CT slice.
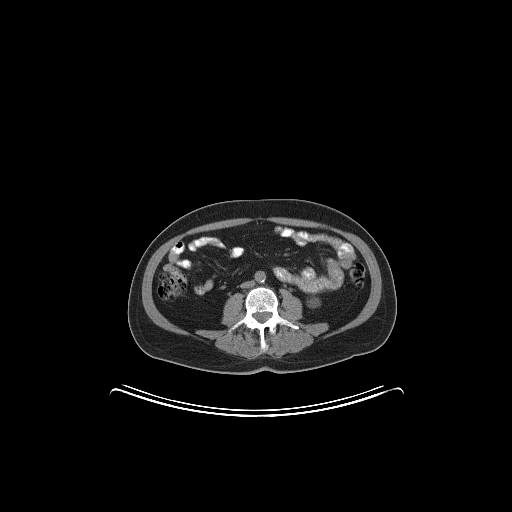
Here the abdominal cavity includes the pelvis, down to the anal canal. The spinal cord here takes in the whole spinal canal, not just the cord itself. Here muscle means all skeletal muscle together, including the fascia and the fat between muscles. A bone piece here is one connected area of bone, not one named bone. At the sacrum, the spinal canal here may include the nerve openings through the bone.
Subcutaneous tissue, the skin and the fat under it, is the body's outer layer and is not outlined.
{"abdominal_cavity":[[[258,221],[324,229],[349,241],[370,278],[359,312],[335,328],[327,321],[304,323],[302,301],[296,295],[280,288],[279,306],[277,294],[259,285],[244,299],[241,292],[228,296],[222,328],[186,329],[168,319],[154,301],[153,281],[170,248],[193,234]]],"bones":[{"outer":[[259,286],[267,287],[276,294],[278,314],[299,327],[294,329],[287,325],[278,324],[274,333],[266,329],[264,331],[264,339],[268,346],[264,352],[260,348],[260,335],[257,329],[250,329],[241,324],[228,332],[228,329],[245,315],[244,301],[248,292]],"hole":[[258,312],[259,313],[261,313],[262,312],[268,312],[269,313],[270,313],[270,316],[264,322],[259,322],[254,317],[254,314],[255,313],[257,313]]}],"muscle":[{"outer":[[259,216],[262,217],[290,217],[291,218],[299,218],[300,219],[312,220],[317,222],[325,223],[331,226],[341,229],[344,231],[347,231],[353,233],[361,238],[368,245],[374,254],[381,275],[381,282],[382,285],[381,286],[381,296],[380,297],[380,301],[377,306],[376,310],[373,314],[366,321],[360,325],[351,329],[349,329],[339,334],[328,337],[325,339],[321,339],[318,341],[315,341],[310,346],[306,347],[297,353],[294,353],[287,356],[284,356],[281,358],[272,358],[269,355],[261,355],[254,359],[251,359],[250,360],[243,359],[225,353],[216,348],[211,343],[207,343],[201,340],[194,339],[188,336],[177,334],[165,330],[156,325],[148,317],[147,314],[145,312],[145,310],[143,307],[142,300],[141,299],[141,287],[142,286],[142,281],[143,280],[143,274],[147,265],[147,263],[153,253],[162,244],[166,242],[169,239],[191,228],[203,224],[206,224],[211,222],[215,222],[216,221],[220,221],[225,219],[240,218],[241,217],[258,217]],"hole":[[258,221],[349,241],[370,278],[359,312],[335,328],[304,323],[302,301],[280,288],[278,314],[299,327],[266,329],[264,352],[257,329],[241,324],[228,332],[246,313],[241,292],[225,300],[222,328],[186,329],[168,319],[153,281],[170,248],[193,234]]}],"spinal_cord":[[[258,312],[259,313],[261,313],[262,312],[268,312],[269,313],[270,313],[270,316],[264,322],[259,322],[254,317],[254,314],[255,313],[257,313]]],"torso":[[[264,198],[297,198],[318,202],[347,214],[370,233],[388,260],[397,298],[395,323],[386,341],[370,353],[293,373],[275,373],[266,370],[248,375],[214,373],[147,355],[136,344],[128,325],[127,315],[132,277],[147,246],[166,226],[194,209],[226,200]]]}